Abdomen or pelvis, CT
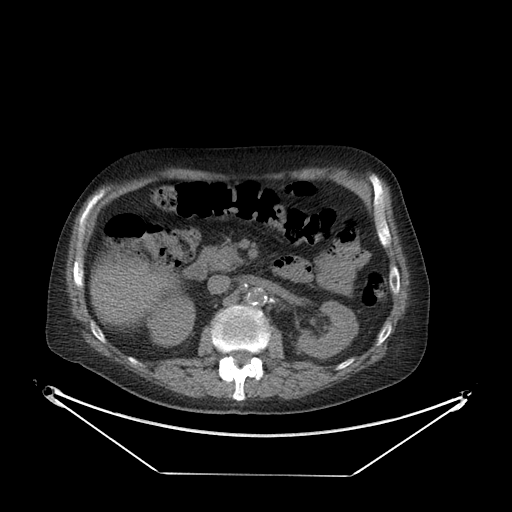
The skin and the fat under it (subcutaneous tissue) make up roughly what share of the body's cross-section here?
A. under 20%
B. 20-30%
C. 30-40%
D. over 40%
Answer: B. 20-30%
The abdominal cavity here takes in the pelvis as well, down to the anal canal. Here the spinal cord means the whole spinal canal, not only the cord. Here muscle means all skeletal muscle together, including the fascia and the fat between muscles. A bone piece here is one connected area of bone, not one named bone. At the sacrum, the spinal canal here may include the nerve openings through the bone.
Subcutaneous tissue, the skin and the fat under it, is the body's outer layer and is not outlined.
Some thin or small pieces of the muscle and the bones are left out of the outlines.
{"abdominal_cavity":[[[286,177],[331,180],[357,194],[373,217],[389,260],[392,305],[376,339],[365,351],[328,365],[286,360],[282,332],[260,308],[240,303],[220,309],[202,328],[197,355],[192,357],[140,360],[106,338],[88,311],[84,261],[98,218],[108,205],[160,179]]],"torso":[[[296,143],[335,143],[361,148],[382,160],[398,180],[430,284],[427,345],[419,365],[411,374],[382,390],[311,412],[283,415],[203,414],[146,401],[79,364],[64,360],[48,348],[44,333],[46,298],[57,240],[73,204],[106,165],[128,152],[148,147]]],"muscle":[{"outer":[[305,167],[335,167],[336,168],[368,169],[379,174],[386,181],[387,184],[390,187],[393,217],[396,225],[397,233],[399,236],[400,244],[402,247],[402,251],[406,259],[406,264],[409,273],[409,290],[408,291],[409,298],[408,304],[405,309],[403,317],[398,321],[395,330],[388,342],[388,347],[386,353],[382,358],[376,361],[373,364],[353,373],[346,379],[335,383],[329,387],[326,387],[316,392],[304,395],[299,398],[278,399],[277,400],[255,400],[252,402],[244,402],[243,403],[240,402],[213,402],[210,400],[186,396],[166,389],[157,384],[152,383],[136,373],[124,368],[121,364],[119,364],[115,361],[112,361],[107,357],[101,355],[84,340],[81,332],[77,326],[76,320],[72,315],[69,307],[69,298],[66,290],[67,285],[65,278],[66,275],[65,272],[69,250],[69,243],[71,238],[75,217],[89,195],[100,185],[105,183],[111,183],[121,178],[142,175],[151,172],[157,172],[167,168],[187,168],[223,174],[245,174],[248,175],[249,174],[272,173],[284,170],[288,171]],"hole":[[371,173],[379,178],[385,192],[384,212],[391,242],[384,249],[389,268],[395,265],[398,269],[400,286],[396,294],[391,293],[391,309],[383,323],[391,323],[390,334],[381,344],[376,345],[375,340],[365,351],[354,355],[347,366],[336,370],[335,364],[286,360],[282,332],[268,318],[270,337],[258,354],[263,375],[258,380],[247,376],[243,383],[245,398],[235,400],[235,381],[223,380],[218,372],[222,354],[212,343],[211,322],[201,330],[197,355],[140,360],[143,365],[132,364],[127,354],[93,334],[84,287],[75,284],[73,265],[79,219],[88,201],[101,189],[105,192],[86,219],[80,252],[83,263],[102,211],[120,196],[160,179],[331,180],[357,194],[373,217]]}],"spinal_cord":[[[234,350],[245,350],[246,351],[248,351],[249,352],[250,352],[252,355],[248,362],[247,362],[246,363],[239,366],[235,363],[235,362],[234,361],[235,360],[234,359],[234,358],[231,355],[230,355],[229,354],[229,353],[230,352],[231,352]]],"bones":[{"outer":[[234,304],[260,309],[267,319],[270,331],[266,347],[258,354],[262,360],[263,375],[258,380],[249,376],[245,378],[243,400],[235,400],[232,396],[235,381],[228,382],[220,377],[218,362],[222,354],[211,339],[211,322],[214,316],[220,310]],"hole":[[234,350],[245,350],[246,351],[248,351],[249,352],[250,352],[252,355],[248,362],[247,362],[246,363],[239,366],[235,363],[235,362],[234,361],[235,360],[234,359],[234,358],[231,355],[230,355],[229,354],[229,353],[230,352],[231,352]]},[[371,173],[374,173],[379,178],[381,181],[382,187],[385,192],[384,212],[385,213],[385,219],[391,236],[391,242],[387,247],[383,247],[381,244],[376,230],[376,225],[374,220],[374,207],[373,206],[374,192],[373,191],[372,183],[369,179],[369,175]],[[101,189],[104,189],[105,192],[103,196],[100,198],[93,206],[86,219],[85,231],[83,234],[83,237],[81,242],[81,251],[80,252],[83,263],[83,286],[82,287],[78,287],[75,284],[73,279],[73,265],[77,253],[79,219],[85,209],[88,201]],[[394,265],[395,265],[398,269],[398,271],[399,272],[399,282],[400,283],[400,286],[399,287],[399,291],[396,294],[394,294],[392,292],[392,291],[390,288],[390,284],[389,283],[389,272],[390,271],[390,269],[391,268],[391,267],[392,267]],[[387,322],[390,322],[391,323],[391,325],[392,326],[392,328],[391,329],[391,332],[390,333],[390,334],[382,342],[382,343],[381,344],[380,344],[379,345],[376,345],[376,340],[377,339],[377,336],[378,335],[379,332],[381,330],[382,327]],[[91,320],[93,320],[95,322],[95,323],[99,327],[99,328],[103,333],[103,334],[104,335],[104,336],[106,339],[106,342],[105,343],[104,343],[103,342],[102,342],[100,340],[99,340],[93,334],[93,333],[92,332],[92,331],[90,328],[90,321]],[[350,357],[353,357],[354,358],[354,360],[350,364],[349,364],[347,366],[346,366],[341,369],[337,369],[336,370],[335,369],[335,367],[337,364],[338,364],[339,363],[340,363],[341,362],[342,362],[343,361],[346,360],[348,358],[349,358]]]}